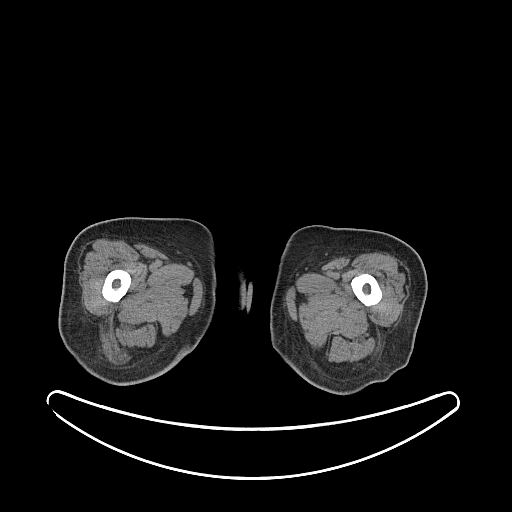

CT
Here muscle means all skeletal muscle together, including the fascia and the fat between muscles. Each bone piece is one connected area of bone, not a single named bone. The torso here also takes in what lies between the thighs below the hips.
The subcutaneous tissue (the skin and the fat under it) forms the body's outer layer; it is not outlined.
{"bones":[[[361,273],[368,273],[369,274],[371,274],[375,277],[375,278],[378,282],[378,284],[380,287],[380,289],[382,293],[382,296],[381,297],[381,299],[376,304],[374,304],[370,306],[366,306],[356,297],[352,290],[352,288],[350,284],[351,280],[355,276]],[[112,270],[124,270],[125,271],[127,271],[131,275],[131,281],[130,282],[130,285],[129,287],[127,289],[124,296],[120,300],[116,302],[110,302],[109,301],[106,301],[104,300],[104,299],[102,297],[102,287],[103,286],[103,284],[108,274]]],"right_leg":[[[124,217],[181,217],[189,218],[205,225],[211,231],[214,238],[217,257],[217,285],[213,323],[209,331],[189,354],[157,377],[135,384],[116,385],[107,383],[90,374],[65,348],[58,330],[58,311],[62,294],[64,259],[75,236],[82,229],[96,222]]],"torso":[[[242,269],[245,271],[245,279],[246,281],[248,282],[252,280],[254,291],[256,293],[257,292],[257,289],[258,292],[257,295],[256,293],[253,295],[252,305],[248,313],[247,313],[244,309],[240,311],[237,311],[237,284],[236,283],[237,282],[238,274]]],"muscle":[{"outer":[[105,236],[149,240],[183,251],[192,257],[199,268],[201,279],[204,285],[204,301],[198,318],[176,341],[165,349],[126,368],[110,368],[101,363],[98,357],[99,340],[96,327],[89,321],[81,304],[81,287],[78,282],[78,266],[82,249],[88,241]],"hole":[[112,270],[124,270],[125,271],[127,271],[131,275],[131,281],[130,282],[130,285],[129,287],[127,289],[124,296],[120,300],[116,302],[110,302],[109,301],[106,301],[104,300],[104,299],[102,297],[102,287],[103,286],[103,284],[108,274]]},{"outer":[[343,248],[372,252],[387,252],[406,263],[411,275],[409,295],[404,304],[401,320],[387,338],[377,364],[364,375],[350,380],[334,378],[314,367],[304,351],[299,337],[287,319],[288,315],[283,305],[283,298],[286,289],[297,269],[309,257],[330,250]],"hole":[[361,273],[368,273],[369,274],[371,274],[375,277],[375,278],[378,282],[378,284],[380,287],[380,289],[382,293],[382,296],[381,297],[381,299],[376,304],[374,304],[370,306],[366,306],[356,297],[352,290],[352,288],[350,284],[351,280],[355,276]]}],"left_leg":[[[314,224],[339,228],[378,230],[394,235],[416,250],[423,262],[427,276],[427,294],[417,327],[413,350],[407,365],[398,370],[387,380],[370,384],[352,394],[335,394],[312,385],[292,369],[280,357],[271,344],[269,309],[280,256],[289,236],[295,230]]]}